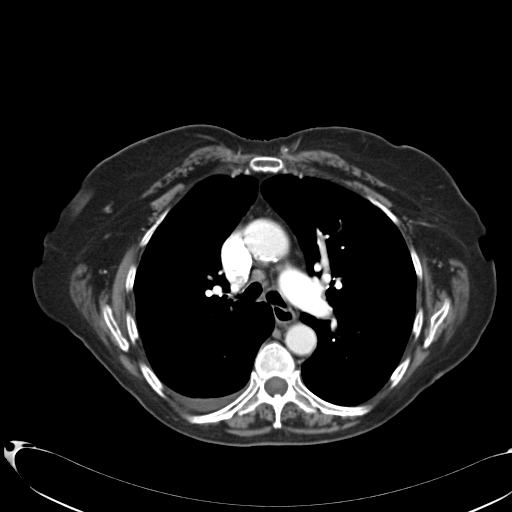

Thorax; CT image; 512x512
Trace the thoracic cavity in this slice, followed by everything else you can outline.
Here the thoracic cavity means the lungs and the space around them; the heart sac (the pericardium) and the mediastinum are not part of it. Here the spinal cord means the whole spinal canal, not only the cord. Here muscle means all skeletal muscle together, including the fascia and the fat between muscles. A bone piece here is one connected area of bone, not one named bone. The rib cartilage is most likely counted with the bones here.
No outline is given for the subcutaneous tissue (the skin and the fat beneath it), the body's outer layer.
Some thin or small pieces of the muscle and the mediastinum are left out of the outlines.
The thoracic cavity appears in 2 outlined pieces: piece 1: 283 172; 309 172; 365 198; 397 227; 409 251; 416 276; 411 333; 401 360; 388 380; 361 404; 340 405; 327 401; 302 380; 301 366; 318 344; 316 330; 301 318; 301 310; 308 305; 309 295; 306 260; 292 228; 260 189; 265 180; piece 2: 231 170; 247 172; 257 181; 258 188; 254 200; 221 244; 219 273; 224 274; 234 293; 245 293; 257 302; 267 304; 273 327; 256 353; 244 390; 216 410; 192 413; 168 394; 150 366; 135 319; 134 282; 145 247; 170 210; 200 181. The bones appear in 12 outlined pieces: piece 1: 273 341; 289 352; 302 382; 315 395; 340 406; 372 404; 372 409; 356 416; 325 414; 319 409; 308 413; 289 401; 276 429; 274 409; 263 402; 247 413; 236 412; 217 422; 188 422; 184 414; 210 413; 236 399; 248 385; 260 347 with a hole at 273 377; 278 377; 279 378; 281 378; 283 379; 285 381; 286 383; 286 385; 287 386; 286 387; 286 389; 285 391; 283 393; 281 394; 280 393; 275 393; 271 395; 266 391; 265 389; 265 387; 264 386; 265 385; 265 383; 269 379; piece 2: 260 155; 275 156; 279 158; 283 162; 285 167; 288 169; 289 171; 283 171; 282 172; 280 172; 279 171; 276 173; 274 173; 273 172; 263 172; 262 171; 251 171; 249 174; 247 171; 243 170; 248 165; 249 161; 252 158; piece 3: 103 304; 107 304; 110 307; 111 311; 112 312; 112 315; 122 335; 127 340; 129 344; 129 347; 127 351; 124 351; 119 347; 114 336; 107 326; 105 322; 105 320; 103 317; 103 315; 102 314; 102 311; 101 310; 101 306; piece 4: 446 299; 448 299; 450 302; 450 306; 448 312; 444 319; 436 329; 436 331; 434 334; 431 343; 427 347; 424 348; 423 347; 423 343; 424 340; 429 333; 429 330; 430 329; 430 319; 431 316; 442 306; 443 302; piece 5: 140 362; 144 362; 150 367; 152 371; 157 377; 157 379; 159 383; 161 384; 161 385; 163 387; 163 391; 166 395; 166 398; 163 398; 161 396; 160 396; 151 387; 151 386; 147 382; 143 374; 141 372; 141 370; 139 366; 139 363; piece 6: 408 356; 410 358; 410 361; 409 362; 409 364; 405 372; 403 374; 400 380; 392 388; 389 388; 389 385; 390 384; 389 382; 389 378; 391 374; 394 371; 394 370; 397 367; 397 366; 400 363; 400 362; piece 7: 168 207; 170 208; 169 211; 162 220; 162 221; 157 226; 157 227; 153 232; 152 235; 150 237; 149 240; 147 242; 146 245; 145 246; 140 246; 140 242; 142 239; 142 237; 144 235; 146 231; 156 221; 161 213; 166 208; piece 8: 127 312; 129 312; 134 318; 135 320; 135 323; 136 324; 136 327; 138 331; 139 338; 136 341; 135 344; 133 344; 131 342; 131 340; 128 334; 128 331; 127 330; 127 325; 126 324; 126 313; piece 9: 420 308; 422 308; 423 310; 423 321; 422 322; 422 325; 421 326; 421 329; 420 330; 419 335; 418 337; 415 340; 414 339; 414 336; 412 334; 412 327; 413 326; 413 323; 414 322; 414 319; 415 318; 415 315; 416 314; 416 312; piece 10: 366 195; 370 195; 373 198; 377 200; 380 203; 381 203; 384 206; 385 206; 389 210; 390 210; 398 219; 399 221; 399 224; 398 225; 396 225; 392 221; 392 220; 380 208; 379 208; 377 206; 373 204; 369 200; 368 200; 365 197; piece 11: 411 247; 413 247; 415 249; 418 255; 418 257; 419 258; 419 260; 421 264; 421 274; 422 275; 421 276; 421 279; 420 280; 417 278; 417 276; 416 275; 416 272; 414 268; 414 265; 412 261; 412 258; 410 254; 410 251; 409 250; piece 12: 133 264; 136 265; 136 271; 135 272; 135 276; 134 277; 134 281; 133 282; 133 288; 132 290; 130 291; 127 291; 125 287; 125 281; 126 280; 126 276; 127 275; 127 273; 128 272; 128 270; 130 266. The torso is outlined by 188 124; 217 125; 253 139; 321 125; 347 126; 437 159; 476 209; 486 229; 481 249; 495 264; 494 310; 475 348; 394 417; 339 441; 228 446; 188 437; 158 421; 79 339; 42 312; 32 289; 32 271; 46 233; 94 165; 135 141. The muscle appears in 5 outlined pieces: piece 1: 397 216; 411 230; 413 241; 427 258; 427 263; 433 273; 433 278; 437 286; 450 289; 448 277; 448 260; 450 258; 456 258; 465 265; 469 280; 469 298; 464 317; 443 347; 415 371; 399 392; 379 409; 364 416; 359 423; 331 433; 302 434; 281 429; 281 413; 284 406; 289 402; 295 404; 308 414; 314 414; 319 410; 325 415; 341 417; 366 415; 373 409; 374 405; 372 403; 363 403; 375 395; 388 381; 388 388; 392 389; 406 372; 411 358; 408 355; 402 360; 404 351; 411 334; 415 341; 419 337; 424 321; 423 308; 420 307; 416 311; 417 279; 420 281; 423 275; 419 255; 413 246; 408 248; 397 226; 400 224; inner edge: 446 299; 448 299; 450 302; 450 306; 448 312; 444 319; 436 329; 436 331; 434 334; 431 343; 427 347; 424 348; 423 347; 423 343; 424 340; 429 333; 429 330; 430 329; 430 319; 431 316; 442 306; 443 302; piece 2: 143 234; 139 246; 144 249; 138 265; 133 263; 129 266; 124 281; 125 290; 133 291; 134 297; 134 317; 129 311; 125 313; 127 334; 133 345; 139 339; 141 341; 149 365; 140 361; 138 366; 146 382; 163 399; 167 398; 164 389; 178 405; 191 413; 182 415; 191 424; 167 413; 124 371; 70 296; 70 278; 78 264; 83 263; 87 266; 90 272; 89 283; 96 298; 112 281; 126 250; inner edge: 103 304; 107 304; 110 307; 111 311; 112 312; 112 315; 122 335; 127 340; 129 344; 129 347; 127 351; 124 351; 119 347; 114 336; 107 326; 105 322; 105 320; 103 317; 103 315; 102 314; 102 311; 101 310; 101 306; piece 3: 209 145; 221 145; 234 151; 239 150; 242 153; 259 155; 252 157; 242 170; 220 171; 200 180; 171 209; 169 206; 166 207; 150 226; 149 217; 153 211; 149 203; 152 199; 149 196; 142 197; 142 194; 163 175; 179 166; 192 151; piece 4: 316 149; 333 152; 350 164; 368 172; 385 183; 388 186; 384 187; 388 192; 388 199; 393 205; 391 208; 392 211; 370 194; 366 194; 363 197; 339 183; 325 177; 317 176; 309 171; 290 171; 277 155; 281 152; 295 153; 302 150; piece 5: 263 403; 270 405; 274 412; 274 420; 272 423; 272 427; 274 429; 267 433; 253 436; 241 436; 226 432; 217 426; 209 425; 205 427; 202 425; 198 425; 211 424; 224 420; 228 420; 236 413; 239 416; 242 416; 253 411; 259 405. The mediastinum is outlined by 251 172; 276 174; 261 183; 260 192; 289 225; 304 256; 308 295; 300 318; 315 330; 317 344; 300 368; 281 343; 275 340; 263 343; 274 327; 269 305; 245 292; 234 292; 225 274; 220 273; 222 244; 258 192; 258 181. The spinal cord is outlined by 273 377; 278 377; 279 378; 281 378; 283 379; 285 381; 286 383; 286 385; 287 386; 286 387; 286 389; 285 391; 283 393; 281 394; 280 393; 275 393; 271 395; 266 391; 265 389; 265 387; 264 386; 265 385; 265 383; 269 379.